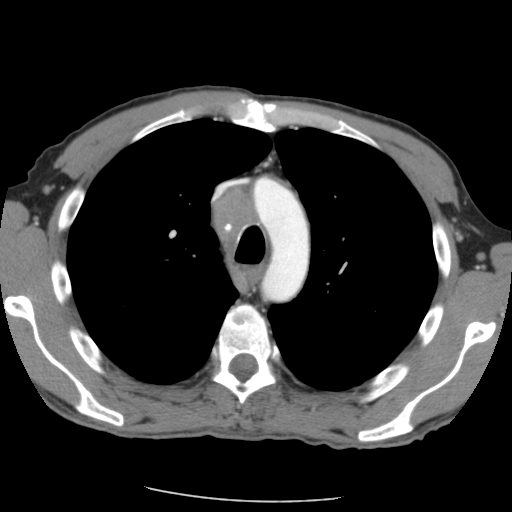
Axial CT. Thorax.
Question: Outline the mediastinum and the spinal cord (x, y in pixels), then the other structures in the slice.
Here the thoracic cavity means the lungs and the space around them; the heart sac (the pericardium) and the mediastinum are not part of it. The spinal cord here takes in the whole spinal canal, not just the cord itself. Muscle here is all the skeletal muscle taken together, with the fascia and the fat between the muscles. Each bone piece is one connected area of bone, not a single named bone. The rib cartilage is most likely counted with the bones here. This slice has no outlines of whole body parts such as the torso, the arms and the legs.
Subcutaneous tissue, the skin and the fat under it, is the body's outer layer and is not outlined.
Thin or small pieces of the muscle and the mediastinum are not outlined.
Answer: Outlines:
mediastinum: 281 127; 287 127; 276 133; 275 149; 285 176; 297 190; 306 210; 311 252; 307 277; 297 295; 269 308; 270 333; 265 318; 251 304; 232 305; 239 294; 210 224; 210 201; 217 184; 251 168; 267 155; 272 143; 265 133
spinal cord: 240 354; 249 354; 250 355; 251 355; 255 359; 255 360; 256 361; 256 363; 257 364; 257 369; 248 378; 247 378; 243 381; 240 380; 232 372; 231 372; 229 369; 229 366; 230 365; 230 363; 231 362; 231 361; 237 355; 239 355
muscle: 197 90; 253 97; 228 102; 210 117; 197 104; 151 121; 87 189; 78 183; 65 196; 57 219; 57 230; 68 230; 65 262; 53 260; 50 280; 60 305; 73 298; 85 330; 71 324; 67 333; 84 362; 104 376; 109 360; 141 382; 167 386; 208 360; 209 379; 240 405; 275 385; 282 371; 320 391; 365 387; 359 404; 406 377; 410 365; 394 361; 414 337; 424 348; 444 315; 444 305; 432 300; 439 274; 445 280; 450 274; 447 232; 431 221; 416 188; 371 136; 327 113; 256 99; 301 101; 398 128; 446 162; 459 208; 440 208; 456 230; 464 271; 489 266; 491 247; 511 242; 501 329; 458 412; 434 416; 413 433; 412 413; 454 377; 470 347; 494 334; 494 320; 470 321; 440 380; 388 421; 357 432; 360 442; 374 442; 207 427; 125 433; 73 414; 32 382; 6 317; 22 318; 43 355; 74 384; 76 411; 114 426; 125 418; 46 347; 29 297; 3 297; 6 195; 45 231; 56 202; 74 183; 53 167; 73 139; 120 111
thoracic cavity 1: 202 117; 261 131; 269 138; 271 146; 257 163; 217 183; 209 201; 209 224; 217 236; 218 251; 238 294; 223 318; 208 359; 194 374; 176 383; 147 383; 111 361; 86 331; 73 297; 66 265; 69 229; 93 180; 121 150; 161 128
thoracic cavity 2: 288 127; 318 128; 385 153; 415 188; 431 222; 437 283; 414 336; 393 362; 361 384; 341 391; 315 389; 297 379; 270 336; 268 312; 272 306; 286 304; 298 295; 308 277; 312 252; 307 210; 286 176; 276 149; 277 133
bones 1: 242 304; 251 305; 264 318; 269 336; 278 347; 281 360; 288 371; 282 370; 280 372; 282 378; 275 384; 262 387; 250 394; 244 402; 240 404; 237 397; 229 389; 210 379; 209 376; 212 367; 209 365; 209 356; 228 310; 232 306, around a hole outlined by 240 354; 249 354; 250 355; 251 355; 255 359; 255 360; 256 361; 256 363; 257 364; 257 369; 248 378; 247 378; 243 381; 240 380; 232 372; 231 372; 229 369; 229 366; 230 365; 230 363; 231 362; 231 361; 237 355; 239 355
bones 2: 241 97; 250 97; 261 103; 274 102; 284 107; 295 107; 327 114; 344 121; 368 135; 381 146; 384 152; 357 139; 313 126; 290 124; 288 126; 281 126; 275 131; 265 132; 255 128; 235 124; 223 113; 223 110; 228 103; 234 102
bones 3: 473 321; 484 323; 494 321; 496 326; 493 334; 485 341; 470 346; 453 377; 425 395; 415 405; 410 416; 410 422; 414 428; 407 433; 381 440; 360 441; 357 438; 360 430; 388 422; 408 402; 440 381; 451 370; 463 346; 466 327
bones 4: 9 295; 24 295; 29 298; 33 306; 37 330; 45 347; 101 404; 123 415; 124 422; 122 425; 114 425; 83 414; 75 409; 74 404; 80 399; 80 394; 75 384; 44 355; 35 341; 31 324; 22 317; 13 316; 6 312; 3 299
bones 5: 399 361; 404 361; 408 364; 410 367; 409 371; 405 377; 398 384; 390 390; 380 395; 373 400; 368 401; 364 403; 359 403; 358 398; 360 394; 364 392; 367 389; 365 386; 360 386; 360 385; 375 376; 390 364; 395 363
bones 6: 71 325; 76 325; 85 331; 93 340; 101 352; 108 359; 108 361; 106 360; 102 363; 102 365; 105 370; 105 374; 104 375; 103 374; 100 374; 91 367; 90 367; 85 362; 85 361; 75 348; 68 333; 68 329
bones 7: 197 105; 200 105; 204 107; 209 113; 195 117; 190 120; 177 122; 169 125; 166 125; 145 135; 133 143; 128 144; 131 138; 139 130; 151 122; 157 120; 164 116; 166 116; 173 112; 175 112; 181 108; 188 108; 191 106; 196 106
bones 8: 435 221; 439 221; 442 224; 446 232; 448 242; 449 243; 449 247; 450 248; 450 256; 451 257; 450 268; 449 269; 449 274; 445 279; 443 278; 439 273; 438 267; 437 266; 437 262; 434 253; 433 238; 432 237; 432 223
bones 9: 78 184; 83 187; 86 190; 85 192; 85 195; 83 198; 83 201; 70 227; 67 230; 63 230; 60 232; 58 230; 58 219; 59 218; 59 215; 60 214; 62 206; 64 203; 64 201; 66 198; 66 196; 69 193; 69 192; 76 185
bones 10: 434 302; 440 302; 443 305; 443 308; 444 309; 443 310; 443 315; 442 316; 441 321; 439 324; 439 326; 435 334; 433 336; 432 339; 424 347; 422 347; 420 345; 420 341; 415 336; 415 335; 425 315; 427 313; 431 304; 432 304
bones 11: 56 259; 59 259; 65 263; 66 269; 67 270; 68 276; 69 277; 69 280; 70 281; 70 284; 71 285; 71 290; 72 291; 72 296; 63 304; 60 304; 57 300; 56 296; 54 293; 53 285; 51 280; 51 265; 54 260